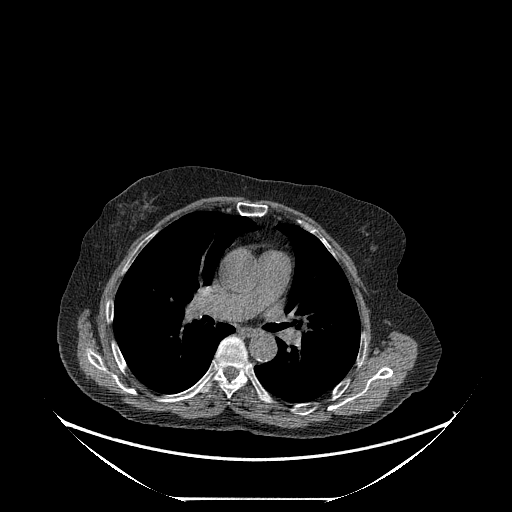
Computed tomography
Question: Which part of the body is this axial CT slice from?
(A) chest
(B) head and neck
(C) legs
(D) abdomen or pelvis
Answer: (A) chest
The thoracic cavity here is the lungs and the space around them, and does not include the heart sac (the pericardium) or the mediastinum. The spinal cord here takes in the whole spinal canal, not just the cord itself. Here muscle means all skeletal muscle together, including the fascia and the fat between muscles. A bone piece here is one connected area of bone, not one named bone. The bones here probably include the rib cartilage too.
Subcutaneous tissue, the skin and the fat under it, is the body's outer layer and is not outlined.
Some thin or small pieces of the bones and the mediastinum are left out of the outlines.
{"mediastinum":[{"outer":[[267,214],[279,214],[294,221],[279,222],[275,229],[289,240],[295,263],[285,317],[273,326],[277,332],[277,352],[271,360],[254,365],[244,341],[233,333],[235,328],[229,323],[215,321],[209,313],[207,288],[225,250],[242,234],[259,229],[250,217]],"hole":[[266,243],[275,246],[280,246],[292,258],[290,279],[284,296],[283,303],[281,307],[278,307],[277,309],[263,317],[255,317],[251,319],[242,320],[237,319],[222,301],[220,294],[215,287],[214,282],[216,274],[222,260],[230,250],[243,245],[254,245]]}],"pericardium":[[[266,243],[275,246],[280,246],[292,258],[290,279],[284,296],[283,303],[281,307],[278,307],[277,309],[263,317],[255,317],[251,319],[242,320],[237,319],[222,301],[220,294],[215,287],[214,282],[216,274],[222,260],[230,250],[243,245],[254,245]]],"thoracic_cavity":[[[204,209],[230,209],[249,217],[258,226],[258,229],[236,237],[224,250],[206,288],[208,313],[215,322],[229,324],[234,331],[220,340],[207,369],[193,384],[178,392],[157,393],[132,373],[117,343],[112,325],[114,299],[122,278],[141,250],[172,222]],[[294,222],[315,236],[342,268],[356,302],[360,334],[353,365],[329,394],[325,393],[311,401],[292,403],[273,397],[257,377],[254,366],[271,361],[278,352],[278,332],[274,330],[274,326],[286,317],[285,308],[296,262],[290,240],[276,226],[279,223]]],"muscle":[{"outer":[[221,195],[242,196],[251,201],[237,201],[235,211],[204,208],[188,212],[160,230],[152,230],[129,253],[114,298],[107,297],[104,304],[105,320],[114,335],[109,345],[119,370],[125,376],[130,371],[156,393],[151,395],[156,402],[175,403],[205,394],[215,383],[229,400],[238,389],[249,386],[261,401],[272,405],[277,402],[274,398],[283,401],[288,411],[300,416],[315,411],[319,406],[316,400],[325,394],[329,403],[326,410],[333,411],[362,396],[373,381],[393,375],[394,371],[384,365],[360,391],[334,402],[349,386],[352,379],[347,375],[352,367],[358,370],[364,363],[369,344],[366,330],[361,329],[354,293],[337,253],[319,230],[300,217],[294,220],[268,213],[266,203],[254,201],[265,199],[315,220],[351,258],[367,291],[364,300],[370,310],[372,349],[378,348],[393,330],[418,343],[413,367],[392,396],[376,409],[295,428],[246,418],[228,407],[215,416],[183,418],[125,403],[94,384],[80,369],[77,320],[85,308],[90,309],[92,316],[97,313],[103,289],[132,242],[172,211],[201,198]],"hole":[[88,348],[91,349],[101,357],[102,361],[107,369],[109,371],[114,373],[123,385],[126,387],[130,388],[132,387],[134,388],[138,393],[136,395],[134,395],[131,393],[123,391],[117,385],[115,380],[110,374],[94,366],[89,361],[86,355],[86,349]]}],"torso":[[[185,165],[219,168],[261,179],[322,185],[389,212],[406,238],[397,268],[397,286],[422,306],[441,343],[441,357],[428,385],[367,427],[319,438],[146,424],[127,419],[82,392],[67,374],[56,340],[60,300],[78,259],[82,238],[104,205],[134,181]]],"spinal_cord":[[[228,367],[233,367],[234,368],[235,368],[237,370],[237,371],[238,372],[237,373],[237,375],[234,378],[233,378],[231,380],[229,380],[225,376],[225,374],[224,373],[224,370],[226,368],[227,368]]],"bones":[{"outer":[[231,334],[243,341],[248,360],[253,364],[256,377],[276,401],[275,404],[261,400],[251,391],[249,385],[238,388],[228,399],[215,382],[209,391],[199,392],[192,397],[175,402],[160,402],[153,398],[154,394],[174,394],[193,385],[208,369],[221,340]],"hole":[[228,367],[233,367],[234,368],[235,368],[237,370],[237,371],[238,372],[237,373],[237,375],[234,378],[233,378],[231,380],[229,380],[225,376],[225,374],[224,373],[224,370],[226,368],[227,368]]},[[384,366],[389,367],[393,371],[390,377],[377,378],[373,380],[367,390],[362,395],[333,410],[327,410],[327,406],[330,403],[327,400],[330,392],[346,376],[350,377],[351,379],[342,394],[333,401],[334,403],[338,403],[360,392],[364,388],[367,381]],[[88,348],[91,349],[101,357],[102,361],[107,369],[109,371],[114,373],[123,385],[126,387],[130,388],[132,387],[134,388],[138,393],[136,395],[134,395],[131,393],[123,391],[117,385],[115,380],[110,374],[94,366],[89,361],[86,355],[86,349]],[[239,201],[245,201],[246,202],[256,202],[257,203],[261,203],[262,204],[266,204],[268,206],[268,212],[265,215],[264,215],[263,216],[245,216],[244,215],[241,215],[240,214],[239,214],[236,211],[236,209],[235,208],[237,202],[238,202]],[[156,229],[159,229],[159,231],[140,250],[140,251],[137,254],[134,260],[132,262],[132,263],[122,277],[120,274],[121,273],[122,268],[127,261],[127,259],[130,253],[134,249],[134,248],[137,245],[137,244],[142,239],[143,239],[152,231]],[[296,218],[300,218],[304,220],[318,230],[319,233],[324,238],[325,238],[325,239],[332,247],[333,250],[336,253],[338,257],[338,261],[337,261],[335,259],[335,258],[330,253],[330,252],[326,248],[323,243],[315,235],[310,233],[295,222],[295,219]],[[312,401],[317,401],[318,402],[318,406],[315,410],[305,415],[300,415],[299,414],[296,414],[295,413],[293,413],[289,410],[288,410],[286,408],[286,407],[288,405],[287,403],[291,403],[292,404],[294,404],[295,403],[305,403],[306,402],[311,402]],[[113,338],[115,339],[116,341],[116,343],[129,369],[129,370],[127,371],[127,375],[125,375],[120,370],[114,358],[114,356],[112,353],[112,350],[111,349],[111,346],[110,345],[110,341],[111,339]],[[361,330],[365,330],[366,332],[367,340],[368,341],[368,344],[366,348],[366,353],[365,354],[365,357],[364,358],[363,363],[358,369],[356,369],[356,367],[354,365],[354,364],[356,360],[357,354],[359,351],[359,347],[360,346],[360,335],[361,334]],[[107,298],[111,298],[112,299],[113,299],[113,321],[112,322],[112,323],[111,324],[108,324],[107,323],[107,321],[106,320],[106,315],[105,314],[105,304],[106,303],[106,299]]]}